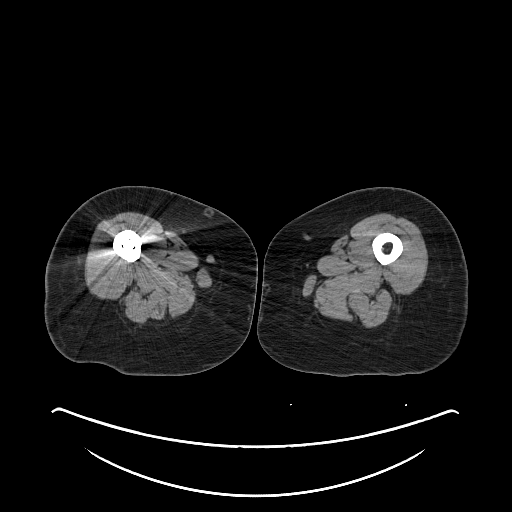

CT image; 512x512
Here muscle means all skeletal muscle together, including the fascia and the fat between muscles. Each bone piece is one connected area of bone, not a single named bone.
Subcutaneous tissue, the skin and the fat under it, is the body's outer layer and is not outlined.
Outlined structures:
left leg: 375 186; 405 188; 423 195; 432 201; 445 214; 455 229; 463 249; 468 269; 468 315; 458 347; 452 355; 439 366; 418 374; 335 376; 298 371; 278 363; 264 351; 257 336; 263 263; 269 242; 276 232; 286 223; 317 205; 353 190
bones 1: 380 232; 390 232; 393 234; 395 234; 400 238; 402 242; 402 244; 403 245; 403 250; 401 254; 394 261; 386 265; 383 265; 381 264; 376 259; 373 253; 373 250; 372 249; 372 246; 371 245; 372 243; 372 241; 375 237; 375 236
bones 2: 124 229; 131 229; 132 230; 134 230; 140 236; 141 238; 141 242; 142 243; 142 245; 141 246; 141 255; 138 259; 133 262; 128 262; 123 259; 120 256; 115 253; 112 247; 112 242; 113 241; 113 236; 114 234; 116 234; 118 232
right leg: 126 185; 162 188; 216 208; 237 222; 254 244; 257 253; 257 289; 249 333; 233 355; 210 369; 188 375; 127 375; 102 364; 79 363; 65 358; 54 347; 48 335; 44 321; 44 277; 46 264; 58 233; 70 215; 84 201; 106 189
muscle 1: 123 211; 136 211; 148 214; 156 219; 188 230; 215 253; 219 263; 218 274; 211 289; 199 298; 199 301; 193 308; 175 320; 136 332; 131 332; 129 326; 108 299; 96 295; 88 289; 85 280; 85 266; 92 234; 96 225; 102 219, around a hole outlined by 124 229; 131 229; 132 230; 134 230; 140 236; 141 238; 141 242; 142 243; 142 245; 141 246; 141 255; 138 259; 133 262; 128 262; 123 259; 120 256; 115 253; 112 247; 112 242; 113 241; 113 236; 114 234; 116 234; 118 232
muscle 2: 379 212; 388 212; 396 216; 403 216; 415 223; 421 231; 428 251; 428 268; 425 279; 406 299; 397 323; 385 332; 371 331; 355 323; 325 317; 321 315; 313 304; 304 298; 300 293; 302 282; 308 273; 309 268; 333 241; 359 220 with a hole at 380 232; 390 232; 393 234; 395 234; 400 238; 402 242; 402 244; 403 245; 403 250; 401 254; 394 261; 386 265; 383 265; 381 264; 376 259; 373 253; 373 250; 372 249; 372 246; 371 245; 372 243; 372 241; 375 237; 375 236